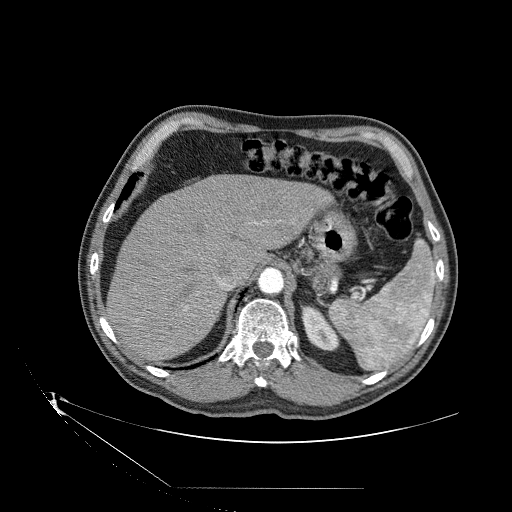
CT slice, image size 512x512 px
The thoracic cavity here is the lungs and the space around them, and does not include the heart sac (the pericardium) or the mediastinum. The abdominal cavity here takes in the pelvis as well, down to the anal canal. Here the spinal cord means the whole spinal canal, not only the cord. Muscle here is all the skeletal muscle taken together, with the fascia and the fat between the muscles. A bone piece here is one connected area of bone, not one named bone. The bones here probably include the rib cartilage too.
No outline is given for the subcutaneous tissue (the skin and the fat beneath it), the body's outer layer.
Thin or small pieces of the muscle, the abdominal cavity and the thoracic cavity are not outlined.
Outlined structures:
bones 1: [[254,298],[266,298],[279,303],[285,312],[289,329],[297,337],[297,350],[301,360],[293,358],[290,364],[284,368],[276,359],[272,359],[263,369],[257,367],[251,358],[247,359],[241,367],[232,359],[222,362],[217,360],[218,355],[233,334],[241,308]]; inner edge: [[256,342],[269,342],[270,343],[271,343],[272,344],[272,345],[273,346],[273,349],[272,350],[272,351],[271,352],[271,353],[270,354],[269,354],[267,356],[265,356],[264,357],[260,357],[259,356],[258,356],[254,352],[254,351],[253,350],[253,345]]
bones 2: [[182,117],[193,117],[194,118],[197,118],[202,121],[202,123],[200,124],[181,125],[177,131],[172,133],[160,141],[155,146],[151,155],[145,163],[137,171],[133,172],[130,167],[136,155],[145,142],[153,133],[158,128],[170,120],[175,120]]
bones 3: [[366,131],[374,133],[381,133],[383,135],[386,135],[401,148],[408,158],[411,165],[411,168],[413,171],[412,177],[410,179],[408,179],[404,176],[403,170],[396,158],[381,143],[378,141],[374,141],[371,139],[366,139],[360,135],[361,132],[365,132]]
bones 4: [[430,317],[432,317],[434,319],[434,324],[433,325],[433,329],[432,330],[432,331],[430,333],[430,334],[424,341],[424,342],[418,347],[416,347],[416,344],[422,333],[422,331],[424,329],[424,327],[426,325],[426,323],[428,321],[428,319]]
bones 5: [[100,316],[103,316],[106,319],[107,322],[111,327],[111,329],[113,331],[113,333],[114,334],[114,335],[118,342],[118,343],[117,344],[116,343],[113,342],[106,335],[106,334],[102,329],[102,328],[101,327],[101,325],[99,322],[99,317]]
bones 6: [[384,370],[387,370],[387,374],[384,377],[383,377],[375,383],[373,383],[372,384],[370,384],[369,385],[368,385],[367,384],[364,384],[361,382],[361,380],[362,379],[367,378],[369,376],[370,376],[375,373],[377,373],[378,372],[381,372]]
bones 7: [[147,364],[149,364],[152,366],[155,366],[156,367],[158,367],[159,368],[162,368],[165,370],[167,370],[169,373],[169,375],[168,376],[166,376],[165,377],[159,377],[158,376],[156,376],[155,375],[152,374],[145,368],[145,365],[146,365]]
bones 8: [[94,252],[97,252],[98,253],[98,257],[99,258],[99,263],[98,264],[98,270],[96,272],[96,273],[95,274],[95,275],[93,277],[92,276],[92,275],[90,273],[90,260],[91,259],[91,256],[92,255],[92,254]]
bones 9: [[427,220],[429,220],[436,227],[436,228],[438,230],[438,231],[439,232],[439,240],[438,241],[436,241],[435,242],[434,241],[433,241],[433,240],[431,237],[431,235],[430,234],[430,232],[428,229],[428,227],[426,224],[426,221]]
bones 10: [[112,202],[115,202],[115,206],[114,207],[114,210],[113,211],[113,213],[112,214],[112,215],[110,218],[110,220],[107,223],[105,223],[104,222],[103,222],[103,221],[102,220],[102,217],[103,216],[103,214],[104,213],[105,210],[108,207],[108,206]]
bones 11: [[439,258],[440,258],[442,260],[442,261],[443,262],[443,278],[442,279],[442,280],[441,281],[439,281],[438,280],[438,279],[437,278],[437,276],[436,275],[436,262],[437,261],[437,260]]
bones 12: [[259,375],[261,375],[266,380],[266,381],[267,382],[267,384],[266,385],[266,386],[265,387],[261,387],[260,386],[258,386],[257,385],[256,385],[255,384],[255,383],[254,382],[254,379],[257,376],[258,376]]
torso: [[185,104],[272,115],[362,115],[393,126],[412,143],[453,231],[458,283],[448,327],[430,359],[409,382],[361,410],[329,420],[287,420],[274,413],[212,418],[184,412],[138,391],[107,361],[89,331],[79,296],[77,262],[84,227],[135,134],[156,115]]
mediastinum: [[270,262],[275,262],[280,264],[286,274],[286,306],[287,307],[287,313],[286,313],[280,303],[274,299],[266,297],[254,297],[246,302],[240,308],[237,315],[239,301],[240,298],[243,297],[246,287],[247,286],[248,287],[256,279],[260,274],[262,269]]
muscle: [[185,111],[200,112],[232,123],[248,124],[249,125],[257,126],[261,128],[318,129],[319,128],[335,128],[336,127],[342,127],[343,126],[368,125],[369,126],[374,126],[381,128],[391,133],[405,146],[414,159],[426,191],[429,196],[436,218],[443,230],[446,247],[447,248],[448,264],[449,265],[449,284],[447,290],[448,291],[446,295],[445,307],[444,308],[443,315],[440,320],[440,323],[432,340],[422,357],[405,375],[385,386],[380,387],[375,390],[369,391],[359,396],[357,396],[349,400],[343,401],[341,403],[332,406],[313,406],[312,405],[297,404],[292,401],[277,396],[268,388],[254,389],[242,397],[238,397],[229,400],[220,400],[214,402],[202,403],[201,402],[191,401],[188,399],[183,398],[170,392],[162,386],[151,382],[149,380],[133,372],[129,371],[108,350],[95,328],[91,316],[88,294],[87,293],[87,286],[86,285],[86,270],[85,269],[86,268],[86,258],[90,245],[91,237],[97,220],[97,217],[107,197],[112,191],[125,164],[141,140],[158,123],[164,119],[173,114],[184,112]], around holes outlined by [[182,117],[197,118],[202,123],[181,125],[178,131],[287,132],[325,142],[366,141],[360,133],[368,131],[386,135],[396,143],[411,165],[412,177],[405,179],[423,219],[429,220],[439,232],[433,251],[435,260],[440,258],[443,262],[443,278],[435,285],[429,316],[434,324],[424,342],[369,385],[361,382],[365,375],[330,371],[303,355],[299,361],[293,358],[286,368],[272,359],[263,369],[251,358],[239,367],[232,359],[221,362],[216,356],[193,368],[170,369],[168,376],[159,377],[119,341],[113,342],[99,322],[99,317],[105,316],[99,272],[93,277],[90,273],[92,254],[97,252],[99,258],[102,254],[108,225],[102,217],[133,173],[130,167],[145,142],[162,125]] and by [[259,375],[261,375],[266,380],[266,381],[267,382],[267,384],[266,385],[266,386],[265,387],[261,387],[260,386],[258,386],[257,385],[256,385],[255,384],[255,383],[254,382],[254,379],[257,376],[258,376]]
thoracic cavity 1: [[135,172],[137,172],[139,173],[139,174],[137,176],[134,182],[133,187],[129,195],[121,202],[119,207],[118,207],[117,209],[115,210],[115,207],[116,206],[116,201],[118,199],[122,191],[122,189],[124,187],[125,184],[127,182],[130,176],[133,173]]
thoracic cavity 2: [[216,355],[217,355],[217,356],[214,358],[210,359],[193,368],[188,368],[187,369],[170,369],[169,370],[163,368],[166,368],[168,367],[172,369],[180,369],[181,368],[183,368],[184,367],[186,367],[196,363],[199,363],[200,362],[208,360],[211,357]]
spinal cord: [[256,342],[269,342],[270,343],[271,343],[272,344],[272,345],[273,346],[273,349],[272,350],[272,351],[271,352],[271,353],[270,354],[269,354],[267,356],[265,356],[264,357],[260,357],[259,356],[258,356],[254,352],[254,351],[253,350],[253,345]]
abdominal cavity: [[194,129],[287,132],[325,142],[371,140],[395,158],[433,242],[437,279],[430,315],[401,361],[367,377],[309,361],[290,329],[287,274],[275,261],[240,294],[234,329],[219,353],[172,368],[145,363],[124,348],[105,317],[100,291],[106,229],[156,146]]